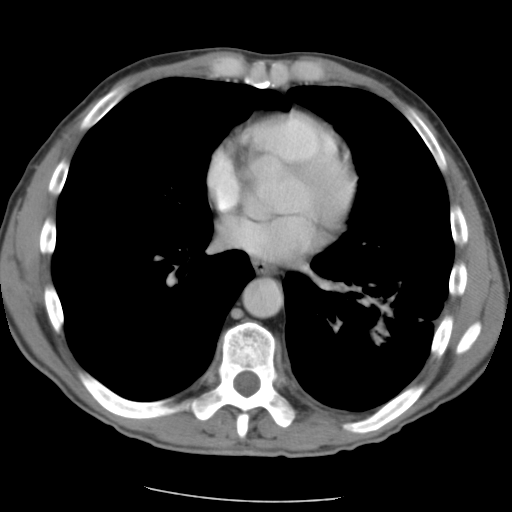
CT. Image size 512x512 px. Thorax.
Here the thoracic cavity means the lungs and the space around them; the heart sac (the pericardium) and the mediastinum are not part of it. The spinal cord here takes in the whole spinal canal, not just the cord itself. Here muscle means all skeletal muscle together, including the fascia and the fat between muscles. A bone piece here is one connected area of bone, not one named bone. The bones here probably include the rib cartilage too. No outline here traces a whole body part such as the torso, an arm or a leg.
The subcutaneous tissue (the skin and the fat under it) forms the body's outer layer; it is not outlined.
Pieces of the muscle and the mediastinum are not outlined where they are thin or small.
{"thoracic_cavity":[[[167,77],[268,88],[285,97],[290,107],[254,107],[210,155],[205,187],[211,239],[220,251],[243,251],[253,270],[224,318],[219,361],[215,364],[214,359],[187,388],[140,401],[114,392],[76,359],[64,331],[52,255],[58,199],[81,140],[128,94]],[[308,84],[362,88],[389,102],[429,150],[449,202],[453,263],[429,354],[408,386],[365,417],[316,405],[294,389],[276,364],[278,340],[285,339],[283,281],[289,272],[309,271],[313,258],[348,229],[358,190],[359,176],[346,139],[332,123],[287,94]]],"mediastinum":[[[248,255],[255,263],[261,264],[273,270],[307,266],[310,261],[309,270],[289,271],[282,281],[285,308],[283,341],[282,339],[277,339],[274,334],[265,326],[253,320],[246,320],[236,323],[226,328],[221,334],[227,314],[243,288],[254,277],[254,270]],[[291,81],[300,81],[308,83],[307,84],[299,84],[293,86],[289,88],[286,92],[287,96],[291,100],[305,107],[297,104],[292,104],[291,105],[291,103],[285,96],[279,92],[271,88],[269,88],[275,88],[276,87],[284,86],[289,84]],[[213,228],[215,231],[215,234],[217,237],[219,238],[219,239],[221,240],[221,241],[223,242],[224,244],[227,245],[229,247],[231,247],[232,248],[236,248],[231,248],[230,249],[220,250],[222,249],[222,246],[221,244],[217,241],[214,241],[212,239]]],"bones":[{"outer":[[246,321],[277,340],[275,367],[286,381],[275,387],[296,411],[286,427],[258,406],[248,411],[240,438],[240,410],[230,404],[205,420],[189,409],[124,417],[104,408],[78,376],[86,371],[132,401],[177,403],[216,384],[189,388],[220,361],[224,331]],"hole":[[243,371],[250,371],[251,372],[254,373],[257,376],[257,377],[259,380],[259,387],[253,393],[252,393],[250,395],[249,395],[248,396],[245,396],[244,395],[241,394],[234,387],[234,379],[235,378],[235,377],[239,373],[240,373]]},[[221,56],[243,56],[248,63],[254,61],[262,61],[267,67],[276,62],[293,62],[296,60],[315,61],[320,62],[323,65],[329,77],[319,82],[291,80],[289,83],[284,85],[259,88],[245,83],[241,78],[209,77],[208,73],[210,61],[216,57]],[[421,383],[426,384],[426,387],[420,396],[401,414],[392,420],[389,421],[381,427],[375,430],[372,430],[363,433],[352,432],[346,430],[342,427],[342,424],[345,422],[356,421],[369,416],[379,409],[384,404],[399,394],[407,387],[413,385],[417,385]],[[406,105],[408,105],[413,108],[413,109],[425,123],[435,137],[438,144],[440,146],[440,148],[444,155],[444,157],[446,161],[446,169],[444,172],[441,172],[440,169],[436,163],[436,161],[433,155],[426,145],[425,142],[416,129],[402,113],[402,110]],[[122,84],[124,84],[126,85],[127,87],[127,90],[128,91],[127,94],[115,105],[114,105],[90,128],[89,128],[87,130],[82,130],[80,129],[80,123],[81,121],[88,113],[88,112],[93,107],[93,106],[105,94],[106,94],[110,90]],[[48,284],[53,284],[61,304],[61,308],[63,312],[63,319],[64,320],[63,322],[63,328],[61,333],[57,333],[53,328],[51,324],[51,322],[49,319],[47,311],[46,310],[45,301],[44,300],[44,288],[45,286]],[[448,314],[449,315],[451,315],[453,317],[453,324],[452,325],[452,330],[451,331],[450,338],[443,354],[440,357],[436,357],[431,353],[430,353],[430,349],[431,348],[432,340],[434,336],[434,332],[436,328],[438,326],[441,319],[445,315],[447,315]],[[450,204],[456,204],[458,205],[461,208],[461,210],[464,215],[464,217],[466,221],[466,224],[467,225],[467,241],[466,243],[462,245],[456,245],[453,241],[453,238],[452,237],[452,232],[451,231],[451,223],[450,222]],[[456,261],[463,261],[464,262],[466,267],[466,270],[467,271],[467,280],[466,281],[466,284],[465,285],[465,288],[463,293],[461,295],[453,295],[452,296],[449,294],[449,292],[448,291],[449,278],[450,277],[450,273],[452,269],[452,266],[454,262]],[[48,217],[53,218],[55,220],[55,247],[54,248],[54,250],[52,254],[50,255],[47,253],[42,253],[40,251],[40,245],[39,244],[39,239],[40,238],[40,232],[41,231],[41,229],[42,228],[42,226],[43,225],[43,223],[45,219]],[[63,158],[65,158],[69,160],[70,163],[69,164],[69,167],[67,171],[66,178],[65,179],[64,184],[62,187],[62,189],[59,195],[58,196],[55,196],[53,195],[48,190],[48,186],[49,185],[50,179],[52,176],[52,174],[56,166]],[[476,321],[479,321],[481,324],[481,329],[480,330],[480,332],[478,336],[476,338],[476,339],[474,341],[474,342],[469,349],[468,349],[466,351],[460,354],[457,354],[455,352],[455,350],[456,349],[457,344],[460,340],[462,335],[468,328],[468,327]]],"spinal_cord":[[[243,371],[250,371],[251,372],[254,373],[257,376],[257,377],[259,380],[259,387],[253,393],[252,393],[250,395],[249,395],[248,396],[245,396],[244,395],[241,394],[234,387],[234,379],[235,378],[235,377],[239,373],[240,373]]],"pericardium":[[[292,105],[310,110],[332,124],[349,146],[358,181],[345,231],[333,243],[316,254],[307,265],[273,269],[255,262],[245,251],[229,246],[218,237],[214,228],[214,216],[208,203],[206,176],[212,153],[234,126],[244,121],[256,111],[269,109],[288,110]]],"muscle":[{"outer":[[244,56],[325,58],[386,84],[433,125],[467,179],[482,217],[507,301],[497,341],[452,388],[376,436],[313,450],[254,452],[179,445],[127,429],[88,405],[34,354],[4,305],[0,249],[13,209],[25,196],[35,166],[62,130],[104,94],[80,121],[79,129],[86,132],[70,161],[63,157],[51,174],[47,190],[58,197],[56,215],[44,219],[38,239],[39,251],[51,255],[52,283],[43,288],[48,319],[57,334],[63,329],[85,370],[77,372],[80,382],[104,409],[132,419],[189,410],[205,421],[230,405],[239,410],[235,428],[243,439],[249,411],[255,408],[265,409],[282,428],[296,418],[296,409],[276,387],[284,385],[286,377],[316,406],[364,417],[341,424],[359,434],[381,428],[421,396],[427,384],[410,384],[430,354],[436,358],[444,354],[454,324],[451,314],[440,318],[444,304],[448,295],[461,296],[468,280],[465,262],[454,261],[455,245],[468,241],[468,225],[462,208],[449,201],[441,146],[408,104],[401,112],[362,87],[309,83],[330,77],[320,61],[296,59],[267,66]],"hole":[[476,321],[479,321],[481,324],[481,329],[480,330],[480,332],[478,336],[476,338],[476,339],[474,341],[474,342],[469,349],[468,349],[466,351],[460,354],[457,354],[455,352],[455,350],[456,349],[457,344],[460,340],[462,335],[468,328],[468,327]]},[[219,51],[235,52],[243,55],[238,56],[221,55],[212,58],[208,63],[207,76],[210,78],[198,76],[167,76],[148,82],[129,93],[128,87],[124,83],[113,87],[105,93],[118,80],[131,73],[141,71],[153,66],[173,63],[194,56]],[[214,383],[215,383],[215,384],[213,386],[210,387],[208,389],[206,389],[202,391],[198,395],[195,395],[194,396],[187,397],[177,402],[173,402],[174,398],[172,396],[188,388],[188,389],[190,390],[191,389],[197,388],[202,385],[211,385]]]}